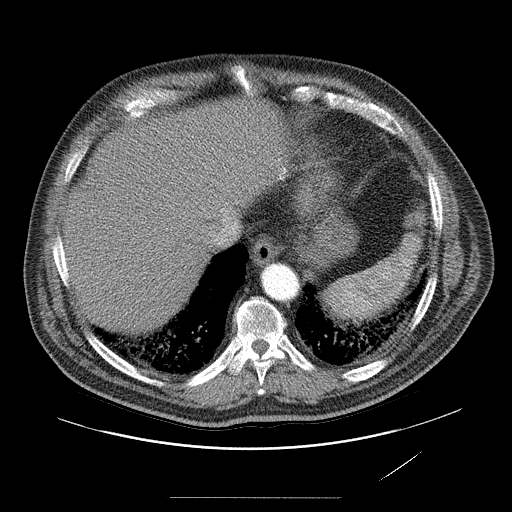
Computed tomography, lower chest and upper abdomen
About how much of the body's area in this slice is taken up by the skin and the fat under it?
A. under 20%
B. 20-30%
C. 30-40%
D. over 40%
Answer: A. under 20%
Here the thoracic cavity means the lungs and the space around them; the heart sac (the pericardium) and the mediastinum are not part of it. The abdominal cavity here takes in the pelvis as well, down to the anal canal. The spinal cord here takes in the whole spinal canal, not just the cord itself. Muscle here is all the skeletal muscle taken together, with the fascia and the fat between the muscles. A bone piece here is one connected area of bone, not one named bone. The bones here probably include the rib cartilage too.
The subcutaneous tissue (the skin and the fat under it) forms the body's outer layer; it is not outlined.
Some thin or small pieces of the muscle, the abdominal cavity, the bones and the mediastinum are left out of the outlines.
{"abdominal_cavity":[[[221,74],[250,96],[271,87],[303,103],[284,117],[285,178],[302,220],[324,222],[390,150],[411,152],[434,229],[427,277],[405,303],[375,323],[336,326],[288,251],[254,229],[213,256],[167,329],[139,341],[92,329],[60,234],[70,182],[112,126]]],"mediastinum":[[[254,230],[265,232],[280,248],[287,251],[301,281],[305,284],[304,291],[307,297],[296,310],[292,320],[288,320],[274,304],[261,295],[252,295],[243,300],[235,307],[232,317],[227,317],[233,295],[245,281],[245,266],[249,255],[247,248],[240,241]],[[318,103],[322,103],[330,109],[341,110],[358,115],[401,140],[409,150],[408,149],[407,151],[405,151],[399,149],[390,149],[386,156],[382,158],[385,155],[384,153],[371,151],[357,139],[350,137],[345,132],[344,133],[337,116]]],"torso":[[[214,51],[301,54],[377,74],[407,96],[442,135],[479,192],[494,250],[494,275],[485,299],[441,360],[369,409],[314,423],[188,427],[122,407],[75,383],[32,330],[23,285],[28,222],[42,171],[64,128],[81,104],[114,76],[144,64]]],"thoracic_cavity":[[[235,244],[243,245],[248,255],[244,266],[244,281],[235,290],[226,311],[227,319],[232,318],[235,333],[218,356],[205,367],[193,374],[154,375],[137,368],[94,333],[93,330],[99,328],[117,338],[139,342],[167,330],[168,325],[186,309],[214,256]],[[426,270],[426,281],[408,324],[391,347],[378,359],[349,369],[311,361],[294,345],[285,331],[289,320],[295,318],[297,310],[308,297],[306,285],[313,288],[311,296],[323,317],[334,326],[346,330],[375,324],[380,318],[388,316],[400,305],[405,304]]],"muscle":[{"outer":[[235,59],[248,60],[260,66],[269,66],[284,70],[293,70],[302,73],[312,73],[319,74],[322,76],[339,78],[345,82],[348,82],[358,87],[370,96],[391,107],[404,117],[417,130],[423,142],[429,147],[435,156],[437,162],[443,167],[453,186],[461,218],[470,221],[473,225],[473,230],[477,235],[477,244],[481,255],[480,259],[482,268],[481,276],[478,280],[476,290],[465,305],[455,315],[452,321],[447,326],[447,328],[427,349],[405,367],[378,383],[345,394],[321,399],[316,404],[286,403],[279,401],[272,396],[257,396],[245,404],[228,409],[216,410],[211,407],[195,408],[182,406],[142,394],[105,380],[76,363],[54,343],[48,333],[43,328],[42,320],[39,314],[36,275],[38,269],[37,265],[41,254],[42,242],[45,236],[41,227],[45,218],[44,206],[46,202],[47,192],[52,186],[63,154],[69,148],[72,138],[80,129],[83,128],[96,115],[99,115],[105,109],[105,105],[113,96],[117,94],[123,87],[127,87],[135,81],[167,73],[196,72],[208,68],[211,69],[224,62]],"hole":[[235,64],[245,69],[258,92],[271,87],[289,99],[295,87],[313,85],[322,93],[383,108],[405,132],[400,139],[425,179],[428,171],[436,178],[442,225],[439,235],[433,230],[431,242],[427,276],[437,275],[431,301],[414,329],[407,325],[381,356],[387,364],[367,379],[349,381],[341,377],[346,367],[321,361],[312,361],[315,368],[305,370],[287,357],[275,359],[266,371],[262,395],[249,359],[236,375],[225,369],[193,386],[184,386],[192,373],[154,375],[138,368],[164,382],[158,387],[112,366],[84,335],[94,331],[72,288],[64,285],[51,248],[61,232],[70,154],[85,138],[89,149],[127,116],[123,102],[141,89],[174,90],[181,98],[221,74],[233,77]]}],"pericardium":[[[310,102],[317,103],[335,115],[340,128],[344,134],[345,133],[350,138],[357,140],[359,143],[361,143],[369,151],[384,154],[347,198],[324,221],[321,221],[316,218],[315,219],[302,219],[296,213],[292,206],[291,197],[286,178],[285,117],[293,105]]],"spinal_cord":[[[259,339],[260,340],[263,340],[264,341],[265,341],[267,343],[268,343],[268,347],[267,348],[267,349],[263,353],[262,353],[261,354],[259,354],[258,353],[257,353],[252,348],[252,343],[254,341],[255,341],[256,340],[258,340]]],"bones":[{"outer":[[252,296],[265,298],[286,318],[288,325],[284,331],[289,340],[315,368],[305,370],[288,357],[275,359],[265,373],[262,395],[257,393],[259,380],[249,359],[236,375],[225,369],[203,383],[184,386],[190,376],[224,350],[236,333],[233,320],[236,307]],"hole":[[259,339],[260,340],[263,340],[264,341],[265,341],[267,343],[268,343],[268,347],[267,348],[267,349],[263,353],[262,353],[261,354],[259,354],[258,353],[257,353],[252,348],[252,343],[254,341],[255,341],[256,340],[258,340]]},[[301,85],[313,85],[319,88],[322,93],[330,91],[337,94],[344,94],[360,101],[372,102],[389,112],[397,120],[407,136],[405,139],[400,139],[356,113],[341,109],[330,108],[322,102],[320,95],[311,101],[304,102],[291,99],[291,91],[295,87]],[[84,331],[88,331],[94,334],[107,347],[120,357],[132,364],[142,374],[150,378],[160,380],[164,382],[165,384],[161,387],[158,387],[155,385],[152,385],[146,383],[129,375],[127,375],[115,368],[107,362],[92,347],[86,339],[84,335]],[[144,88],[145,89],[160,88],[162,90],[165,89],[174,90],[177,93],[178,98],[172,102],[158,103],[152,107],[146,108],[143,110],[144,111],[143,113],[138,116],[127,117],[129,114],[123,109],[122,107],[123,102],[125,100],[132,99],[141,89]],[[428,171],[432,172],[436,178],[437,185],[439,189],[439,192],[441,195],[441,202],[442,203],[442,225],[441,226],[441,232],[439,235],[436,235],[435,233],[434,221],[432,217],[431,203],[430,202],[430,195],[429,194],[428,182],[427,181],[427,172]],[[434,273],[436,273],[437,275],[437,279],[436,280],[436,285],[435,286],[435,289],[434,290],[431,301],[427,308],[427,310],[418,324],[413,330],[410,330],[408,325],[413,316],[413,314],[419,302],[419,300],[425,287],[425,285],[427,281],[427,278]],[[382,358],[385,358],[388,360],[387,364],[376,374],[367,379],[365,379],[361,381],[358,381],[357,382],[353,382],[341,377],[341,374],[345,371],[347,371],[352,368],[356,368],[360,366],[366,365],[369,363],[371,363],[376,360],[378,360]],[[58,232],[61,237],[61,241],[62,242],[64,255],[65,256],[65,262],[66,263],[67,271],[69,276],[68,279],[69,280],[69,287],[68,288],[64,285],[60,277],[60,275],[58,272],[52,254],[51,245],[54,241],[54,238]],[[85,138],[88,138],[90,141],[88,145],[88,149],[85,155],[81,160],[71,180],[69,182],[66,183],[64,181],[64,178],[65,177],[65,170],[68,163],[68,159],[70,157],[70,154],[73,152],[77,147],[80,146],[79,142],[81,142],[83,139]],[[235,64],[239,64],[241,65],[245,69],[246,71],[246,74],[251,78],[251,83],[252,84],[252,86],[257,90],[257,92],[256,93],[252,95],[250,95],[248,94],[244,90],[244,89],[237,82],[236,82],[234,80],[234,74],[231,70],[231,67]]]}